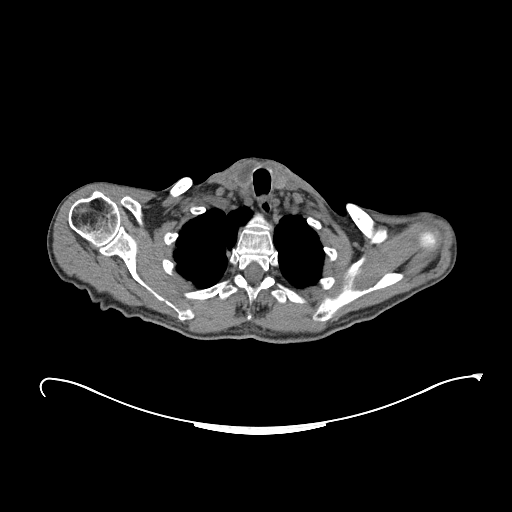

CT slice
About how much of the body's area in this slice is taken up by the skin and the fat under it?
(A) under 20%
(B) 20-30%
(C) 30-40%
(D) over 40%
Answer: (A) under 20%
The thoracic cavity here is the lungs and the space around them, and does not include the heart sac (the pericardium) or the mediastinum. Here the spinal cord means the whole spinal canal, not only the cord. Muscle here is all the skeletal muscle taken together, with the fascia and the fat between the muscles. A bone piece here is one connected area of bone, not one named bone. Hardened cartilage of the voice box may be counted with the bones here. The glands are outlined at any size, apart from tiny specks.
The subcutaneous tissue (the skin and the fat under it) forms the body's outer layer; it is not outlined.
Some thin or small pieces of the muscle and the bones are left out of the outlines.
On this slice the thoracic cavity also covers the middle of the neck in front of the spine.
The torso is outlined by 250 156; 284 164; 339 214; 348 202; 392 214; 429 210; 420 248; 432 266; 449 274; 370 320; 299 343; 193 339; 112 308; 101 310; 85 290; 62 281; 51 266; 96 254; 112 243; 121 213; 117 183; 152 190; 186 176; 199 183. The spinal cord is outlined by 252 262; 255 262; 257 263; 257 264; 259 265; 259 266; 261 268; 262 270; 262 272; 263 273; 262 278; 259 282; 259 283; 257 285; 253 285; 252 284; 250 284; 247 281; 244 275; 244 270; 247 267; 247 266; 249 265. The right arm is outlined by 93 181; 109 181; 114 182; 117 185; 118 197; 120 204; 120 213; 117 220; 115 231; 113 235; 113 239; 111 243; 101 251; 93 253; 87 256; 83 256; 76 259; 51 265; 46 249; 46 235; 52 215; 57 205; 65 195; 77 187. The thyroid glands appear in 2 outlined pieces: piece 1: 245 168; 248 168; 249 169; 249 184; 248 185; 248 187; 247 188; 247 192; 245 194; 244 193; 243 193; 241 188; 236 183; 236 182; 234 179; 235 176; 236 175; 237 175; 240 172; 241 172; 242 171; 242 170; 243 170; piece 2: 274 168; 277 168; 279 170; 279 171; 283 175; 283 176; 285 178; 285 180; 286 181; 285 182; 285 183; 284 184; 284 185; 283 186; 283 187; 282 187; 281 188; 276 188; 274 186; 274 181; 273 180; 273 172; 274 171. The thoracic cavity is outlined by 260 163; 273 166; 276 189; 291 185; 295 212; 317 232; 325 255; 322 276; 301 288; 288 283; 278 269; 276 220; 255 211; 237 229; 222 279; 196 288; 175 269; 173 251; 180 230; 217 206; 220 191; 232 180; 245 195; 249 168. The bones appear in 13 outlined pieces: piece 1: 255 212; 275 220; 272 234; 278 261; 275 278; 306 302; 300 304; 287 299; 280 303; 270 293; 270 288; 261 290; 251 305; 242 288; 224 299; 217 294; 205 299; 186 298; 184 292; 207 288; 232 275; 228 254; 237 242; 238 229, around a hole outlined by 252 262; 255 262; 257 263; 257 264; 259 265; 259 266; 261 268; 262 270; 262 272; 263 273; 262 278; 259 282; 259 283; 257 285; 253 285; 252 284; 250 284; 247 281; 244 275; 244 270; 247 267; 247 266; 249 265; piece 2: 95 190; 102 192; 116 203; 120 214; 120 224; 136 241; 138 275; 157 293; 177 307; 190 308; 194 313; 191 319; 181 321; 171 307; 156 298; 133 278; 119 256; 103 255; 97 247; 70 227; 68 213; 71 205; 80 198; 88 197; piece 3: 362 256; 365 257; 365 260; 360 267; 360 272; 354 279; 352 287; 354 289; 372 286; 388 272; 402 273; 403 277; 393 284; 358 297; 342 307; 329 319; 321 322; 315 321; 312 316; 318 305; 325 297; 335 297; 341 291; 346 270; piece 4: 348 202; 351 202; 359 206; 371 217; 371 218; 378 226; 384 226; 386 227; 388 230; 388 238; 379 244; 372 244; 370 243; 370 240; 365 235; 364 235; 358 228; 358 227; 355 224; 347 212; 346 210; 346 207; 345 206; piece 5: 422 226; 428 226; 436 230; 439 234; 439 240; 440 241; 440 245; 439 246; 439 249; 438 250; 438 253; 437 255; 433 258; 430 258; 428 257; 417 245; 417 243; 415 239; 415 233; 418 229; 418 228; piece 6: 126 195; 128 196; 130 196; 133 199; 136 200; 140 204; 141 206; 141 209; 142 210; 142 213; 143 214; 143 225; 142 226; 140 226; 138 224; 133 214; 127 208; 126 208; 121 204; 120 202; 121 199; 124 196; piece 7: 186 176; 191 178; 191 179; 193 182; 192 185; 189 188; 188 188; 184 192; 179 194; 177 196; 172 196; 169 193; 169 191; 171 189; 171 188; 174 185; 174 184; 176 182; 177 182; 178 181; 178 180; 179 180; 181 178; 183 178; piece 8: 323 276; 332 276; 333 277; 334 277; 337 280; 337 282; 335 284; 335 285; 334 285; 331 288; 330 288; 329 289; 328 289; 327 290; 325 290; 324 289; 323 289; 323 288; 318 283; 318 281; 319 280; 319 279; 321 277; 322 277; piece 9: 164 258; 165 258; 166 259; 168 259; 169 260; 170 260; 171 261; 173 261; 175 263; 175 267; 174 268; 174 271; 173 272; 173 274; 168 274; 166 272; 165 272; 164 271; 164 270; 163 269; 163 268; 162 267; 162 260; piece 10: 166 232; 177 232; 178 233; 178 236; 177 237; 177 238; 176 239; 176 240; 175 241; 175 242; 174 243; 174 244; 173 245; 168 245; 167 244; 166 244; 164 242; 164 240; 163 239; 163 236; 164 235; 164 234; piece 11: 323 246; 328 246; 329 247; 332 247; 333 248; 334 248; 337 251; 337 257; 334 260; 333 260; 332 261; 331 261; 330 260; 329 260; 328 259; 328 258; 327 257; 326 257; 326 255; 325 254; 325 253; 324 252; 324 251; 323 250; piece 12: 308 217; 312 217; 313 218; 314 218; 315 219; 316 219; 317 220; 318 220; 321 223; 321 228; 320 229; 319 229; 318 230; 316 230; 315 229; 314 229; 310 225; 309 225; 308 224; 308 223; 307 222; 307 218; piece 13: 192 206; 203 206; 206 209; 205 210; 205 211; 203 213; 202 213; 201 214; 199 214; 198 215; 196 215; 195 216; 193 216; 193 215; 192 214; 192 213; 190 211; 190 208. The muscle is outlined by 247 160; 269 161; 284 168; 303 182; 334 218; 341 218; 346 211; 372 245; 386 241; 389 230; 378 225; 371 213; 392 217; 430 215; 442 220; 452 236; 449 265; 439 276; 380 303; 351 311; 317 332; 281 333; 258 323; 241 323; 224 331; 199 333; 164 314; 124 304; 97 291; 66 274; 52 250; 54 223; 71 195; 90 185; 106 184; 159 196; 168 192; 177 197; 193 184; 201 186 with holes at 260 163; 277 168; 291 185; 296 213; 321 223; 316 231; 321 243; 337 251; 334 260; 325 258; 322 275; 337 282; 327 290; 318 283; 297 288; 277 268; 275 278; 303 297; 303 304; 280 303; 270 288; 251 305; 242 288; 224 299; 217 294; 186 298; 183 293; 196 288; 175 269; 164 271; 162 260; 173 261; 175 248; 164 242; 164 234; 178 233; 193 217; 192 206; 217 206; 220 191 and at 95 190; 102 192; 116 203; 120 214; 120 224; 136 241; 138 275; 157 293; 177 307; 190 308; 194 313; 191 319; 181 321; 171 307; 156 298; 133 278; 119 256; 103 255; 97 247; 70 227; 68 213; 71 205; 80 198; 88 197 and at 362 256; 365 257; 365 260; 360 267; 360 272; 354 279; 352 287; 354 289; 372 286; 388 272; 402 273; 403 277; 393 284; 358 297; 342 307; 329 319; 321 322; 315 321; 312 316; 318 305; 325 297; 335 297; 341 291; 346 270 and at 422 226; 428 226; 436 230; 439 234; 439 240; 440 241; 440 245; 439 246; 439 249; 438 250; 438 253; 437 255; 433 258; 430 258; 428 257; 417 245; 417 243; 415 239; 415 233; 418 229; 418 228 and at 126 195; 128 196; 130 196; 133 199; 136 200; 140 204; 141 206; 141 209; 142 210; 142 213; 143 214; 143 225; 142 226; 140 226; 138 224; 133 214; 127 208; 126 208; 121 204; 120 202; 121 199; 124 196. The left arm is outlined by 429 211; 435 212; 445 217; 449 221; 455 231; 455 234; 457 238; 457 258; 456 259; 455 265; 450 273; 445 272; 432 265; 426 259; 423 254; 423 252; 421 248; 421 238; 422 237; 422 229; 423 228; 423 225; 425 222; 426 217.